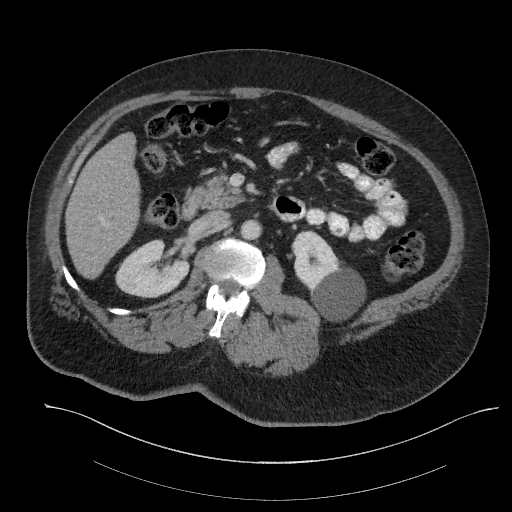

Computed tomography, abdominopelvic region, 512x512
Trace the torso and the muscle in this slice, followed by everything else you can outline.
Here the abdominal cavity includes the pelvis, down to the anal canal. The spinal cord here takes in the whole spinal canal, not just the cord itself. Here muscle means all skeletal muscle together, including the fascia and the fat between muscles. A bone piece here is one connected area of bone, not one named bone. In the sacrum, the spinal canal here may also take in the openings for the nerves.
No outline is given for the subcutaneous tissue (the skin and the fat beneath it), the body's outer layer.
The torso is outlined by 241 47; 314 55; 377 75; 431 109; 468 155; 490 238; 486 317; 476 347; 462 368; 406 408; 347 425; 266 427; 244 420; 195 391; 143 401; 110 394; 51 369; 30 344; 27 210; 35 174; 51 143; 87 103; 124 75; 168 58. The muscle is outlined by 235 86; 266 87; 274 89; 292 90; 310 96; 330 100; 370 117; 390 129; 424 153; 446 178; 448 184; 454 190; 461 208; 464 228; 464 247; 461 252; 462 254; 461 265; 453 280; 433 304; 423 309; 415 310; 405 314; 400 314; 396 318; 395 322; 384 327; 366 339; 360 341; 358 340; 354 342; 348 342; 343 345; 337 344; 328 345; 324 350; 321 351; 315 362; 308 368; 301 372; 296 372; 287 376; 279 377; 259 376; 248 371; 247 369; 243 367; 235 366; 227 357; 220 345; 215 340; 214 341; 210 339; 186 348; 180 348; 175 350; 174 349; 172 351; 165 353; 146 353; 136 351; 125 346; 114 344; 105 339; 87 321; 72 320; 68 319; 65 316; 58 315; 53 310; 49 301; 51 293; 51 285; 53 283; 53 269; 47 253; 46 245; 44 242; 45 213; 48 199; 52 190; 52 184; 56 174; 65 156; 77 138; 91 123; 104 112; 114 105; 134 97; 150 93; 169 92; 180 89; 197 89; 198 90; 223 89 with a hole at 272 93; 303 98; 426 170; 449 221; 433 272; 345 325; 322 327; 305 299; 282 291; 284 268; 268 253; 243 315; 230 312; 219 337; 208 335; 217 315; 205 305; 209 245; 181 289; 127 315; 68 284; 67 177; 119 118; 169 100. The spinal cord is outlined by 229 279; 231 279; 232 280; 235 281; 241 286; 241 289; 240 290; 240 291; 236 295; 230 295; 229 296; 226 296; 225 295; 220 293; 220 292; 219 291; 219 285; 218 284; 218 283; 221 281; 224 281; 225 280; 228 280. The bones appear in 4 outlined pieces: piece 1: 228 237; 242 240; 259 248; 265 259; 265 271; 260 281; 248 292; 250 301; 243 315; 238 317; 234 312; 230 312; 221 326; 220 336; 214 337; 208 335; 217 312; 207 309; 205 305; 206 293; 212 283; 204 267; 205 256; 212 243; inner edge: 229 279; 231 279; 232 280; 235 281; 241 286; 241 289; 240 290; 240 291; 236 295; 230 295; 229 296; 226 296; 225 295; 220 293; 220 292; 219 291; 219 285; 218 284; 218 283; 221 281; 224 281; 225 280; 228 280; piece 2: 63 264; 65 264; 66 265; 69 272; 71 274; 71 275; 75 280; 76 283; 80 288; 80 291; 77 291; 73 288; 72 288; 66 281; 66 280; 65 279; 65 277; 64 276; 64 273; 63 272; 63 270; 62 269; 62 265; piece 3: 79 157; 79 160; 80 161; 80 164; 79 165; 79 167; 74 176; 74 178; 73 179; 73 182; 72 183; 72 184; 71 185; 69 185; 69 184; 67 181; 67 177; 68 176; 68 174; 71 170; 71 169; 73 166; 73 164; piece 4: 108 306; 113 306; 114 307; 119 307; 120 308; 124 308; 125 309; 129 309; 133 312; 132 313; 131 313; 130 314; 128 314; 127 315; 119 315; 118 314; 115 314; 114 313; 112 313; 111 312; 110 312; 107 309; 107 307. The abdominal cavity is outlined by 272 93; 303 98; 401 148; 426 170; 449 221; 440 265; 337 327; 322 327; 305 299; 282 291; 286 274; 273 253; 264 256; 233 236; 201 247; 186 284; 161 301; 130 309; 89 296; 66 264; 60 227; 80 165; 110 127; 159 102.